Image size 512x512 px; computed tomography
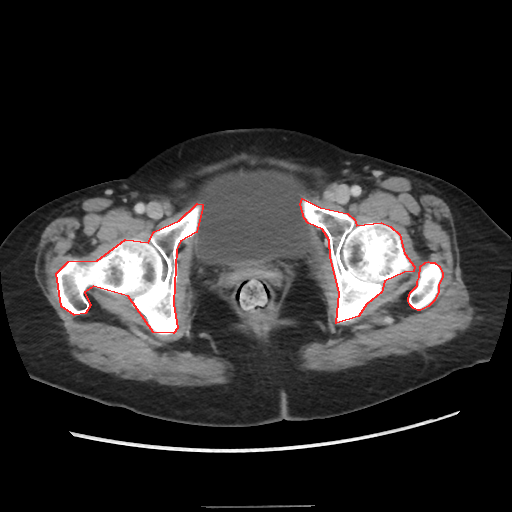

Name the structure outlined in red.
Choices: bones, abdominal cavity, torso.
red: bones.
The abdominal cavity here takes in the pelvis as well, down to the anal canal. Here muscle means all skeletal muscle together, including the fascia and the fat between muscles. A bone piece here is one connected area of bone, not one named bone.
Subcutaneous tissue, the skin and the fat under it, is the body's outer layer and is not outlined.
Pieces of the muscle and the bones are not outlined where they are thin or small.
Outlines (x, y in pixels):
bones 1: 197,203 202,204 202,208 196,232 180,241 176,249 173,303 177,328 173,333 153,332 128,296 93,286 84,292 90,305 85,313 74,315 61,306 56,273 68,261 97,260 125,239 148,242 154,231 179,220
bones 2: 302,198 320,207 347,213 354,219 356,225 381,222 390,226 399,234 404,253 414,266 413,271 404,272 384,281 381,292 366,304 358,316 336,323 339,292 330,257 329,240 322,229 308,223 304,218 300,204
bones 3: 428,261 430,262 434,262 439,266 442,273 442,276 438,285 438,291 437,294 433,301 428,306 420,310 417,310 413,308 410,305 408,301 408,298 410,292 417,285 417,281 419,277 420,266 425,262
torso: 250,127 309,133 351,151 437,176 475,200 511,238 507,303 489,360 339,417 284,420 249,428 163,421 123,407 106,406 31,378 17,349 4,303 0,244 8,233 45,203 84,187 122,178 175,143 207,132
abdominal cavity: 249,163 274,165 295,171 305,177 307,185 307,191 299,204 301,214 309,225 308,249 281,299 264,323 255,323 235,310 225,297 204,279 196,262 196,233 203,208 203,204 197,198 199,185 204,179 221,170
muscle: 243,152 319,167 334,184 349,192 362,192 390,176 400,176 416,182 441,198 448,205 453,217 461,277 473,305 472,319 465,330 443,344 375,358 367,363 337,371 302,370 297,367 296,362 297,354 303,345 323,342 328,336 324,306 316,287 307,275 302,273 293,281 278,312 280,317 288,318 296,325 273,331 267,345 235,327 234,313 218,299 207,293 202,295 191,326 192,348 198,353 227,360 232,365 232,377 228,383 179,387 128,380 90,367 73,357 62,323 35,277 37,247 45,227 84,199 92,197 113,198 136,211 152,209 176,179 192,169 with holes at 249,163 295,171 303,198 399,234 414,269 384,281 358,316 336,323 329,240 311,224 264,323 204,279 195,234 176,249 173,333 93,286 85,313 61,306 56,273 68,261 148,242 199,202 204,179 and at 428,261 430,262 434,262 439,266 442,273 442,276 438,285 438,291 437,294 433,301 428,306 420,310 417,310 413,308 410,305 408,301 408,298 410,292 417,285 417,281 419,277 420,266 425,262